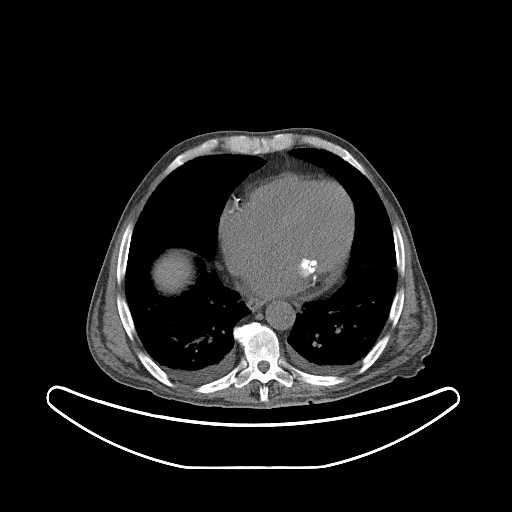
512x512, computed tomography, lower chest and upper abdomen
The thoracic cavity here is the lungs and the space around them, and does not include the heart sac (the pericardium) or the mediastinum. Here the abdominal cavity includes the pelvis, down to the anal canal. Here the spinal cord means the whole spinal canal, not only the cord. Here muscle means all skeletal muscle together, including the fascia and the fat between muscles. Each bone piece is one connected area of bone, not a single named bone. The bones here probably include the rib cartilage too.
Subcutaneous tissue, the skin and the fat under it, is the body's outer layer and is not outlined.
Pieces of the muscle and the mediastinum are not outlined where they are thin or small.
The pericardium is outlined by 288,169 294,171 317,171 333,176 351,198 354,210 353,239 341,283 331,293 301,303 295,303 282,298 260,298 251,295 243,295 234,289 237,288 223,260 218,238 220,217 226,207 226,202 235,192 258,178. The spinal cord is outlined by 261,361 266,361 269,364 269,366 268,367 268,368 264,372 263,372 262,371 261,371 259,369 259,368 258,367 258,363 259,362 260,362. The abdominal cavity is outlined by 174,246 181,246 184,248 187,248 189,250 195,252 200,258 204,260 205,259 208,260 209,261 209,271 201,274 195,280 194,284 179,296 177,297 165,297 158,293 154,289 150,278 150,266 152,262 162,250. The mediastinum appears in 4 outlined pieces: piece 1: 237,292 243,296 251,296 260,299 282,299 291,301 295,304 303,303 302,311 296,315 295,321 283,345 281,345 276,332 266,324 258,321 238,323 242,317 250,313 250,310 242,300 238,299 239,294; piece 2: 293,147 298,147 294,147 289,151 289,153 292,156 315,164 321,167 327,173 317,170 294,170 288,168 258,177 250,181 241,186 228,199 233,190 251,172 265,163 265,160 263,158 254,155 265,154 290,149; piece 3: 218,239 219,246 220,247 220,251 222,256 222,260 233,282 233,284 236,288 234,288 233,289 236,291 232,290 230,288 225,286 220,281 216,274 213,271 210,271 210,261 214,258 216,248 217,247 217,241; piece 4: 348,262 348,265 346,269 346,274 347,275 344,283 331,295 329,295 325,297 322,297 321,298 318,298 317,299 314,299 316,299 317,298 319,298 322,296 325,296 328,294 331,294 338,287 338,286 339,286 340,284 342,283. The thoracic cavity appears in 2 outlined pieces: piece 1: 228,152 264,163 227,198 213,258 174,245 162,249 149,266 153,289 165,298 179,297 201,275 213,272 249,310 232,328 242,351 235,366 196,385 170,377 144,348 126,299 126,268 134,226 157,186 190,160; piece 2: 299,147 328,151 367,178 379,196 391,225 397,278 387,321 380,337 361,361 338,374 304,371 290,363 281,352 281,346 286,343 304,303 331,296 345,283 355,230 352,198 340,182 321,166 292,155 290,151. The bones appear in 9 outlined pieces: piece 1: 250,322 275,332 281,354 294,367 346,380 325,386 294,379 288,387 271,379 266,384 266,402 260,400 262,384 257,379 239,388 231,384 208,393 195,392 197,386 221,378 236,366 243,351 234,339 233,328, around a hole outlined by 261,361 266,361 269,364 269,366 268,367 268,368 264,372 263,372 262,371 261,371 259,369 259,368 258,367 258,363 259,362 260,362; piece 2: 279,133 291,133 293,135 295,143 290,148 253,155 229,152 223,147 219,146 214,149 212,153 200,155 190,159 164,176 166,167 176,156 199,146 207,140 216,138 222,142 228,136 232,135 270,138 273,135; piece 3: 304,136 311,136 312,137 313,136 314,137 318,137 319,138 327,140 334,144 336,144 344,148 347,150 363,167 367,173 369,177 369,179 355,167 338,155 328,150 326,150 322,148 313,147 301,142 300,139; piece 4: 130,222 132,222 134,225 132,230 131,239 129,243 127,261 126,262 126,267 125,268 125,275 123,280 120,284 118,284 117,283 117,260 118,259 119,248 123,236 123,233 128,223; piece 5: 138,351 142,351 143,352 145,352 147,353 151,358 151,359 163,371 164,371 167,374 169,379 174,384 174,387 170,387 164,384 162,382 159,381 155,377 154,377 146,369 146,368 140,361 137,355 137,352; piece 6: 119,294 122,297 125,298 126,300 126,302 134,324 134,327 136,331 136,334 134,336 134,339 132,341 129,338 123,326 123,324 121,321 121,319 119,315 119,312 117,307 117,301 116,300 117,295; piece 7: 386,334 388,334 389,335 389,338 385,347 383,349 380,355 377,358 377,359 367,369 366,369 362,373 358,374 357,373 357,371 361,366 361,362 362,361 362,359 371,350 371,349 374,346 377,341 381,337; piece 8: 393,224 396,224 398,226 403,241 404,256 405,257 405,267 404,268 404,274 403,276 400,275 398,273 396,267 396,252 395,251 395,244 394,243 394,238 393,237 393,232 392,231 392,225; piece 9: 400,288 403,288 403,305 402,306 402,309 401,310 399,318 395,326 394,327 392,327 391,323 389,321 388,321 388,317 389,316 389,313 391,309 391,306 392,305 392,303 394,299 395,293 396,291. The muscle appears in 3 outlined pieces: piece 1: 164,169 165,177 148,197 135,223 127,223 120,240 116,283 120,285 124,279 125,297 119,293 115,300 122,326 132,342 138,336 145,350 136,352 139,361 164,385 174,388 172,378 195,385 195,393 208,394 231,385 239,389 257,380 261,384 258,389 260,403 234,402 222,397 194,398 165,392 119,373 106,364 94,349 92,316 118,234 134,205; piece 2: 358,161 373,175 401,221 418,283 430,310 430,337 408,360 365,381 324,395 289,397 265,403 269,400 267,384 271,380 288,388 294,380 328,387 344,383 347,378 338,375 360,363 356,373 362,374 378,359 389,341 388,333 381,336 386,323 389,322 394,328 400,318 404,288 396,288 398,274 403,277 406,267 403,237 399,226 391,224 368,173; piece 3: 292,133 296,133 297,134 304,134 305,135 312,135 312,136 311,135 304,135 302,136 299,139 301,143 303,144 305,144 309,146 294,146 294,145 296,143 296,139 294,135. The torso is outlined by 289,127 318,128 347,140 367,158 397,198 437,316 437,334 431,352 423,360 425,367 415,376 398,377 335,401 270,409 193,405 113,380 92,358 85,324 112,234 134,190 168,149 189,137 216,130 266,131.